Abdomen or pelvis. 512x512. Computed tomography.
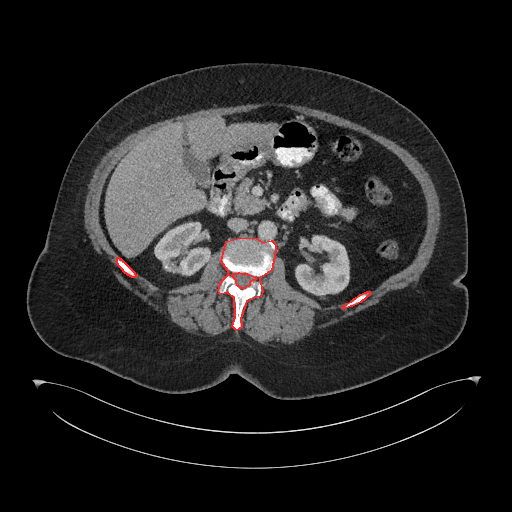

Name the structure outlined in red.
red: bones.
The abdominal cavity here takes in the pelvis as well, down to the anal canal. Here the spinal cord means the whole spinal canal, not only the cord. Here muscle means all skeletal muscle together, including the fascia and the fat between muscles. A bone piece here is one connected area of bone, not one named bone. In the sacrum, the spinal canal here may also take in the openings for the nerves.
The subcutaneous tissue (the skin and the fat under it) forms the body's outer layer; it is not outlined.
The bones appear in 3 outlined pieces: piece 1: [[240,237],[256,238],[262,242],[271,240],[275,244],[275,251],[271,270],[259,278],[262,292],[260,296],[246,301],[240,318],[241,327],[236,330],[232,326],[235,317],[234,298],[227,292],[220,294],[218,290],[221,281],[229,273],[221,261],[226,241]]; inner edge: [[239,272],[241,273],[246,273],[247,274],[249,274],[255,277],[255,279],[254,280],[252,280],[250,281],[249,282],[249,285],[248,286],[244,288],[241,288],[237,285],[236,283],[236,280],[233,277],[233,275],[232,274],[233,273],[238,273]]; piece 2: [[367,291],[369,291],[370,292],[369,294],[363,300],[362,300],[360,302],[352,306],[350,306],[346,308],[342,308],[342,307],[343,307],[346,303],[351,301],[354,298],[355,298],[360,294],[364,292],[366,292]]; piece 3: [[117,257],[118,257],[119,258],[120,258],[134,272],[134,273],[136,275],[135,276],[135,277],[132,277],[131,276],[130,276],[129,275],[128,275],[126,273],[125,273],[123,271],[123,270],[118,265],[118,264],[117,263]]. The abdominal cavity is outlined by [[268,106],[288,108],[359,132],[405,165],[425,201],[425,229],[415,256],[374,288],[345,303],[323,306],[290,285],[285,261],[275,252],[273,240],[228,237],[211,255],[198,281],[159,289],[116,254],[104,233],[100,201],[108,176],[126,153],[158,128]]. The muscle is outlined by [[263,102],[290,103],[291,104],[304,105],[314,109],[319,109],[323,111],[326,111],[360,124],[372,130],[377,134],[382,135],[394,141],[413,155],[425,168],[429,174],[439,198],[440,212],[441,213],[440,228],[436,240],[434,253],[427,268],[420,276],[419,280],[416,283],[411,284],[403,289],[394,291],[377,304],[370,306],[351,316],[349,316],[336,324],[331,325],[323,329],[313,330],[309,335],[305,336],[302,339],[298,340],[292,344],[282,344],[279,346],[265,345],[259,343],[243,334],[240,337],[237,337],[230,331],[226,331],[217,335],[211,335],[210,336],[209,335],[197,335],[182,329],[171,321],[170,318],[167,315],[159,313],[153,309],[131,291],[124,287],[116,279],[115,276],[112,273],[112,270],[110,266],[99,254],[94,251],[87,237],[87,234],[83,225],[83,210],[84,209],[85,196],[88,190],[88,183],[93,174],[93,171],[101,158],[108,150],[116,145],[127,135],[149,124],[177,115],[181,115],[201,109],[207,109],[215,106],[217,107],[235,106],[249,103],[253,104]]; inner edge: [[268,106],[288,108],[359,132],[392,152],[421,188],[425,229],[412,261],[346,308],[342,308],[344,303],[323,306],[293,288],[286,279],[285,261],[275,252],[271,270],[259,278],[262,292],[246,301],[241,327],[236,330],[232,326],[234,298],[218,291],[229,273],[221,261],[225,245],[211,255],[198,281],[159,289],[136,272],[135,277],[128,275],[118,265],[118,256],[101,225],[100,201],[116,164],[154,130],[201,116]]. The spinal cord is outlined by [[239,272],[241,273],[246,273],[247,274],[249,274],[255,277],[255,279],[254,280],[252,280],[250,281],[249,282],[249,285],[248,286],[244,288],[241,288],[237,285],[236,283],[236,280],[233,277],[233,275],[232,274],[233,273],[238,273]]. The torso is outlined by [[236,62],[301,65],[355,78],[408,107],[436,136],[458,177],[468,226],[468,269],[461,281],[469,308],[449,347],[359,387],[278,399],[235,373],[199,391],[157,391],[63,356],[38,337],[26,310],[28,279],[63,174],[83,136],[115,102],[149,82]].